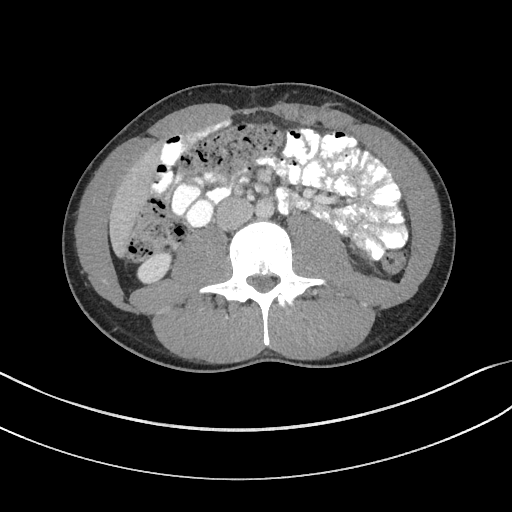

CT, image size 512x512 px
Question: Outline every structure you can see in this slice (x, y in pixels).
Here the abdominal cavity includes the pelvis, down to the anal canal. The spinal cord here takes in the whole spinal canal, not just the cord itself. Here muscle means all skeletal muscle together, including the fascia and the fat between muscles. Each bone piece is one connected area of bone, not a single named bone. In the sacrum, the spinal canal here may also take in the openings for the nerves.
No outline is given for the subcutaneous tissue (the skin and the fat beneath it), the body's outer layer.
Answer: The muscle is outlined by 203 364; 240 362; 264 351; 298 360; 348 353; 368 336; 380 311; 417 292; 433 264; 443 224; 434 184; 407 146; 383 128; 319 105; 200 103; 169 113; 107 155; 76 212; 79 262; 97 294; 122 311; 147 317; 157 340; 174 355 with a hole at 266 346; 272 304; 293 306; 326 285; 293 271; 289 215; 324 222; 352 265; 393 282; 411 236; 392 172; 359 140; 259 110; 155 142; 120 183; 107 232; 121 287; 137 289; 169 276; 194 231; 221 227; 232 275; 199 293; 256 303. The torso is outlined by 202 374; 263 362; 306 368; 349 365; 390 347; 430 313; 451 273; 455 219; 438 170; 409 136; 365 105; 323 86; 302 82; 217 82; 189 86; 159 99; 94 156; 72 191; 63 219; 61 253; 70 291; 88 320; 120 347; 166 368. The bones are outlined by 266 346; 272 304; 275 301; 281 308; 293 306; 299 295; 309 288; 326 285; 326 281; 297 275; 292 269; 292 245; 287 232; 274 223; 259 221; 243 227; 231 239; 228 247; 231 277; 204 286; 199 293; 221 295; 242 304; 256 303; inner edge: 262 292; 264 291; 267 291; 269 289; 270 289; 274 285; 274 284; 276 282; 277 282; 278 280; 277 277; 275 276; 256 276; 255 277; 250 277; 248 278; 247 280; 248 283; 253 285; 256 289. The abdominal cavity is outlined by 132 289; 169 276; 194 231; 221 227; 227 252; 237 230; 262 220; 282 226; 291 241; 285 221; 301 212; 331 228; 362 273; 399 282; 411 245; 406 200; 383 162; 336 129; 259 110; 169 135; 133 164; 109 212; 109 252; 121 287. The spinal cord is outlined by 262 292; 264 291; 267 291; 269 289; 270 289; 274 285; 274 284; 276 282; 277 282; 278 280; 277 277; 275 276; 256 276; 255 277; 250 277; 248 278; 247 280; 248 283; 253 285; 256 289.